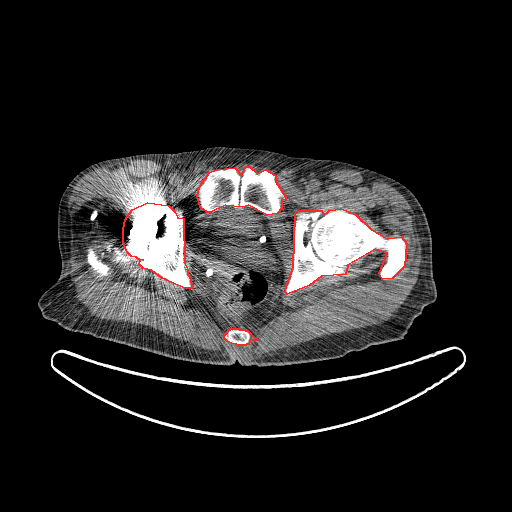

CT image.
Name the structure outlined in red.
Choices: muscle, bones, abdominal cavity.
red: bones.
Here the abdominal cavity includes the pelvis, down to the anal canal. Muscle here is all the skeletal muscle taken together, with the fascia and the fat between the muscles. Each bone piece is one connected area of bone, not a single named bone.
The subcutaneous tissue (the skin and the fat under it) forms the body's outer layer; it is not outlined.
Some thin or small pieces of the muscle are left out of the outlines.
{"bones":[[[341,208],[355,214],[371,229],[387,238],[401,236],[406,243],[404,266],[392,278],[382,279],[379,273],[387,253],[375,249],[347,265],[345,274],[321,276],[309,285],[287,294],[285,290],[293,267],[295,213],[298,210],[321,210],[323,215],[329,210]],[[147,202],[168,205],[174,211],[177,217],[183,218],[184,263],[187,269],[187,274],[190,278],[191,288],[185,288],[177,285],[162,278],[151,270],[143,268],[139,264],[140,260],[136,257],[131,256],[127,252],[123,242],[123,229],[125,219],[132,209]],[[246,166],[249,166],[257,173],[265,169],[275,175],[275,181],[285,196],[285,199],[281,200],[281,208],[277,213],[267,215],[248,205],[242,207],[225,205],[210,212],[207,212],[200,207],[197,195],[200,185],[209,172],[216,169],[234,167],[241,175]],[[231,328],[238,328],[239,329],[244,329],[245,330],[247,330],[250,333],[250,334],[255,338],[255,340],[253,340],[251,339],[249,341],[248,344],[246,344],[245,345],[237,345],[236,344],[231,343],[227,341],[224,338],[224,335],[227,332],[227,331]]],"abdominal_cavity":[[[225,206],[233,206],[235,208],[248,206],[266,215],[271,221],[269,223],[271,235],[283,266],[283,280],[277,301],[266,319],[261,324],[251,327],[228,326],[216,320],[207,311],[194,290],[191,275],[185,263],[184,246],[186,231],[206,212],[210,213]]],"muscle":[{"outer":[[132,159],[197,171],[239,164],[264,168],[209,171],[196,195],[205,213],[185,234],[184,218],[160,202],[136,205],[124,219],[126,252],[162,279],[185,289],[192,285],[206,311],[223,325],[261,325],[280,297],[284,266],[267,216],[281,210],[286,196],[269,170],[290,180],[350,169],[395,188],[415,214],[422,248],[417,281],[394,317],[380,325],[250,356],[209,351],[148,326],[95,318],[73,289],[69,198],[86,173]],"holes":[[[341,208],[355,214],[371,229],[387,238],[401,236],[406,243],[404,266],[392,278],[382,279],[379,273],[387,253],[375,249],[347,265],[345,274],[321,276],[309,285],[287,294],[285,290],[293,267],[295,213],[298,210],[321,210],[323,215],[329,210]],[[231,328],[238,328],[239,329],[244,329],[245,330],[247,330],[250,333],[250,334],[255,338],[255,340],[253,340],[251,339],[249,341],[248,344],[246,344],[245,345],[237,345],[236,344],[231,343],[227,341],[224,338],[224,335],[227,332],[227,331]]]}],"torso":[[[213,146],[343,161],[403,184],[422,206],[429,225],[437,290],[435,301],[423,308],[402,339],[370,345],[334,359],[261,367],[175,359],[71,331],[44,318],[37,302],[61,271],[58,206],[71,179],[89,165],[106,159],[145,153],[172,154]]]}